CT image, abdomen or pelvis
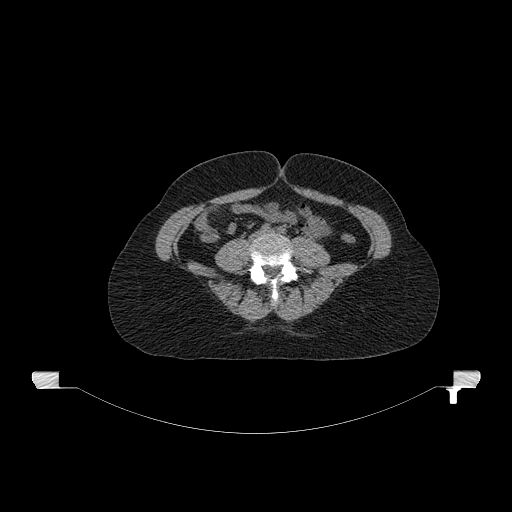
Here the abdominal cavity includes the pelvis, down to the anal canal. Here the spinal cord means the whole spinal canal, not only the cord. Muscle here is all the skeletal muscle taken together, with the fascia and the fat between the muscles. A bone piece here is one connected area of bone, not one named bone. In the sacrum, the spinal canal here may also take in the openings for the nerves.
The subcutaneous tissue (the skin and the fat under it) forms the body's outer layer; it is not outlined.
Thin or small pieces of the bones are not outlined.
bones: 265,233 280,234 290,240 293,249 291,261 299,268 297,271 298,278 296,281 293,280 286,283 280,283 277,286 278,298 274,305 271,303 271,286 268,283 256,284 251,281 248,270 252,263 249,247 255,238, around a hole outlined by 265,266 270,266 271,267 274,267 275,266 280,266 280,268 279,269 279,270 278,271 278,272 277,273 277,274 275,276 274,276 273,277 269,277 266,274 266,273 265,272 265,271 264,270 264,267
abdominal cavity: 279,181 303,197 338,206 353,215 370,241 360,262 330,264 331,256 320,243 302,235 290,239 276,232 265,232 251,241 244,238 228,240 213,256 219,270 193,258 182,258 179,240 198,214 220,205 254,198
spinal cord: 265,266 270,266 271,267 274,267 275,266 280,266 280,268 279,269 279,270 278,271 278,272 277,273 277,274 275,276 274,276 273,277 269,277 266,274 266,273 265,272 265,271 264,270 264,267
torso: 253,149 272,153 281,164 300,152 335,157 363,169 386,188 400,208 408,229 430,255 439,279 437,315 421,341 399,351 362,359 184,360 146,354 118,335 108,311 107,281 114,260 137,223 190,167 219,155
muscle: 277,176 284,176 292,184 374,210 381,215 390,231 391,251 349,276 319,308 305,316 286,321 272,312 250,321 226,311 208,288 191,273 159,259 155,252 155,238 163,223 180,208 237,190 264,186 273,182 with a hole at 279,181 303,197 346,210 370,243 360,262 330,264 331,256 320,243 293,237 291,261 299,268 298,278 277,286 272,305 271,286 250,280 251,241 225,242 213,256 219,270 182,258 178,243 198,214 254,198